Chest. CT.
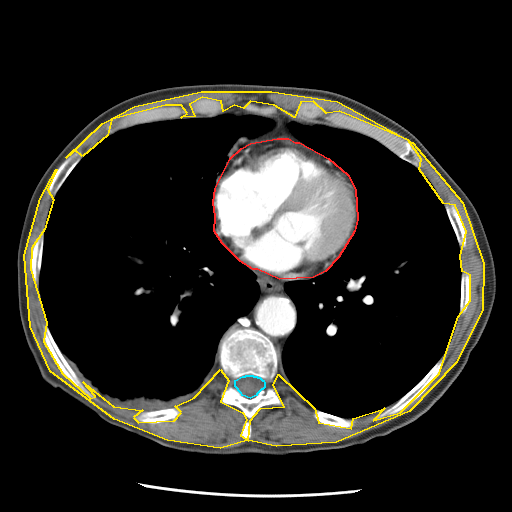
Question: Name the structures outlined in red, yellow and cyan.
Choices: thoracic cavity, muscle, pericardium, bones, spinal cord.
Answer: red: pericardium; yellow: muscle; cyan: spinal cord.
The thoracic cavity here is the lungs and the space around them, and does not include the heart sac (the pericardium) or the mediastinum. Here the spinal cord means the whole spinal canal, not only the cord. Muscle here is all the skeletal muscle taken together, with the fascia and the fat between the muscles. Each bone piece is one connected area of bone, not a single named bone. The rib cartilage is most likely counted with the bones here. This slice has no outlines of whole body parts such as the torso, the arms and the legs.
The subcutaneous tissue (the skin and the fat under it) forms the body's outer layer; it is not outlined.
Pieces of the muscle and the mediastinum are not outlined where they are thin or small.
{"pericardium":[[[277,138],[288,138],[295,142],[299,142],[328,158],[347,174],[355,189],[357,219],[354,231],[338,257],[325,271],[313,277],[279,279],[257,269],[253,269],[240,261],[222,243],[214,231],[215,216],[213,202],[215,188],[230,158],[241,148],[250,143]]],"muscle":[[[201,91],[271,91],[337,101],[412,142],[462,202],[483,263],[482,309],[456,362],[409,411],[336,442],[276,446],[247,440],[220,448],[167,440],[114,419],[50,371],[30,326],[24,255],[40,198],[56,169],[47,189],[53,199],[44,229],[31,248],[30,269],[46,322],[43,341],[62,373],[90,398],[95,396],[83,382],[113,406],[142,410],[133,417],[138,422],[174,420],[181,412],[175,406],[194,397],[220,369],[228,380],[220,401],[242,412],[246,419],[240,435],[248,440],[250,420],[260,408],[284,406],[273,385],[278,374],[314,408],[318,422],[351,428],[353,418],[384,408],[373,420],[400,412],[439,373],[458,316],[470,300],[470,275],[462,271],[460,256],[466,231],[455,205],[443,203],[419,169],[421,159],[408,140],[339,111],[326,113],[313,101],[300,102],[294,117],[274,105],[250,101],[243,108],[234,105],[223,111],[221,101],[202,97],[189,104],[194,116],[181,117],[187,113],[181,105],[165,105],[111,119],[107,135],[82,156],[75,150],[66,157],[102,123],[134,106]]],"spinal_cord":[[[246,375],[252,375],[253,376],[256,376],[257,377],[259,377],[262,380],[263,380],[264,382],[264,387],[262,389],[261,389],[256,394],[256,395],[250,398],[242,395],[241,393],[238,390],[238,389],[235,386],[235,380],[242,376],[245,376]]],"bones":[{"outer":[[243,326],[261,332],[273,344],[279,356],[279,363],[272,385],[283,402],[283,406],[264,405],[255,412],[249,420],[251,436],[248,439],[241,435],[247,419],[243,412],[238,407],[221,401],[221,393],[229,380],[220,368],[218,353],[223,336],[230,330]],"hole":[[246,375],[252,375],[253,376],[256,376],[257,377],[259,377],[262,380],[263,380],[264,382],[264,387],[262,389],[261,389],[256,394],[256,395],[250,398],[242,395],[241,393],[238,390],[238,389],[235,386],[235,380],[242,376],[245,376]]},[[302,102],[316,103],[322,106],[326,114],[331,112],[339,112],[365,121],[397,135],[400,138],[409,142],[420,159],[421,164],[418,168],[398,156],[376,139],[354,130],[329,125],[322,117],[316,118],[312,121],[305,121],[297,118],[296,109],[298,105]],[[165,106],[181,106],[183,107],[186,110],[186,113],[180,117],[139,123],[126,128],[119,129],[110,134],[108,134],[107,124],[108,122],[111,120],[119,118],[132,112],[136,112],[140,110],[144,110],[150,108],[164,107]],[[442,356],[444,357],[444,361],[438,373],[430,383],[430,384],[425,389],[425,390],[416,399],[415,399],[406,407],[394,414],[386,415],[379,419],[373,419],[373,417],[383,412],[388,407],[395,403],[414,386],[415,386]],[[44,324],[46,324],[47,325],[49,329],[49,331],[58,348],[65,357],[65,358],[67,360],[81,382],[94,396],[94,398],[90,397],[88,395],[83,393],[80,390],[79,390],[63,373],[63,372],[57,365],[54,359],[52,357],[43,338],[43,325]],[[75,151],[79,151],[81,153],[81,158],[69,173],[63,183],[60,186],[59,189],[56,192],[55,195],[54,196],[52,195],[49,195],[48,194],[48,189],[49,188],[51,180],[55,172],[57,170],[59,166],[62,163],[62,162],[68,156],[69,156]],[[171,407],[177,407],[179,408],[180,410],[179,414],[174,419],[168,419],[167,420],[161,421],[160,422],[157,422],[156,423],[147,423],[146,422],[138,421],[134,418],[135,415],[138,412],[140,412],[141,411],[161,410],[162,409],[167,409]],[[202,98],[214,99],[215,100],[217,100],[221,102],[223,105],[223,110],[222,112],[216,115],[213,115],[212,116],[207,116],[206,115],[199,115],[198,114],[194,114],[192,113],[191,109],[190,108],[190,104],[193,101],[197,100],[198,99],[201,99]],[[445,203],[452,203],[456,208],[461,218],[461,220],[463,224],[463,227],[465,231],[465,246],[464,247],[461,247],[459,246],[459,244],[458,243],[456,235],[454,232],[454,230],[452,227],[452,225],[448,217],[446,209],[444,206],[444,204]],[[42,230],[43,230],[43,246],[42,247],[42,254],[41,255],[41,267],[39,271],[39,284],[38,285],[36,285],[33,280],[33,276],[32,275],[32,270],[31,269],[31,255],[32,254],[32,248],[33,247],[34,242],[37,238],[37,237],[40,234]],[[315,409],[320,410],[323,412],[325,412],[326,413],[328,413],[335,416],[342,417],[343,418],[348,418],[349,419],[351,419],[352,418],[355,420],[355,422],[353,426],[351,427],[336,427],[335,426],[324,424],[318,421],[314,417],[313,413]],[[464,270],[466,271],[469,275],[469,281],[470,282],[470,284],[469,285],[469,300],[468,301],[468,304],[467,305],[467,307],[466,308],[466,310],[465,312],[461,314],[459,313],[459,306],[460,305],[460,296],[461,295],[461,275],[462,274],[462,272]],[[248,102],[250,102],[253,104],[255,104],[260,107],[265,107],[266,106],[274,106],[276,109],[276,112],[271,115],[261,115],[260,114],[256,114],[255,113],[252,113],[251,112],[248,112],[247,111],[246,111],[244,109],[244,106],[245,105],[245,104]]],"mediastinum":[[[249,268],[279,280],[293,280],[286,281],[283,284],[283,288],[295,305],[297,320],[295,327],[283,346],[280,357],[272,341],[261,331],[253,327],[243,325],[232,328],[225,333],[230,326],[253,308],[259,297],[259,285],[256,281],[256,275]],[[234,106],[248,113],[251,113],[252,114],[255,114],[256,115],[257,115],[260,115],[261,116],[271,116],[281,112],[301,121],[315,123],[302,124],[296,121],[288,123],[288,129],[303,143],[288,137],[257,140],[244,145],[232,155],[235,149],[247,138],[263,134],[274,125],[274,121],[268,117],[264,117],[263,116],[260,116],[259,115],[254,115],[253,114],[246,114],[237,116],[224,112]]],"thoracic_cavity":[[[223,112],[273,121],[269,129],[247,137],[234,149],[215,178],[212,202],[213,231],[255,275],[258,297],[224,332],[217,350],[219,368],[194,396],[161,409],[113,405],[80,379],[46,321],[40,271],[51,204],[82,157],[104,137],[139,124],[212,117]],[[290,122],[321,123],[363,134],[417,168],[441,200],[459,247],[458,315],[447,347],[407,392],[366,415],[349,418],[315,408],[279,373],[284,346],[298,320],[296,305],[284,284],[324,273],[345,249],[358,219],[351,178],[331,159],[298,139],[289,129]]]}